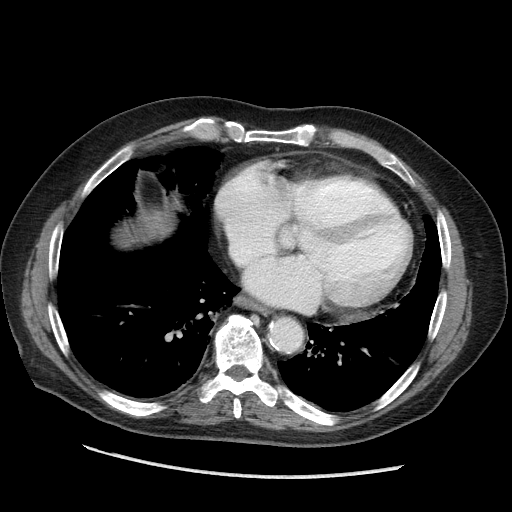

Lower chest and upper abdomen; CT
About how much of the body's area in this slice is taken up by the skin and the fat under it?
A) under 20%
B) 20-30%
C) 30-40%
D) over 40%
Answer: B) 20-30%
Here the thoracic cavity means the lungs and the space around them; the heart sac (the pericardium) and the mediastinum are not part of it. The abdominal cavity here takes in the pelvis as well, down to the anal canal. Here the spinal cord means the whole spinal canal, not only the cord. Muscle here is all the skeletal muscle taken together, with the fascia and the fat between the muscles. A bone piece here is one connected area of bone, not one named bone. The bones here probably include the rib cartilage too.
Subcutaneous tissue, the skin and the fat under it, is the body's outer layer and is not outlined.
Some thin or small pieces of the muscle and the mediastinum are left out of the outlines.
Outlined structures:
pericardium: (285, 152) (329, 153) (333, 157) (381, 173) (402, 189) (420, 219) (424, 232) (424, 246) (409, 291) (394, 304) (359, 321) (342, 325) (328, 325) (313, 321) (294, 311) (264, 305) (250, 296) (238, 283) (214, 232) (212, 215) (214, 191) (222, 175) (236, 163) (265, 154)
thoracic cavity 1: (189, 147) (207, 147) (221, 155) (207, 197) (207, 250) (239, 290) (230, 305) (221, 307) (212, 319) (211, 358) (195, 381) (151, 401) (136, 400) (118, 394) (96, 379) (71, 349) (57, 306) (56, 285) (63, 237) (84, 199) (125, 162) (132, 158) (165, 158), around a hole outlined by (139, 168) (153, 171) (159, 183) (167, 191) (177, 188) (189, 213) (187, 215) (184, 213) (179, 213) (177, 215) (179, 219) (177, 229) (170, 237) (160, 243) (133, 251) (119, 251) (110, 243) (110, 231) (118, 219) (125, 216) (128, 212) (132, 214) (135, 211) (135, 179)
thoracic cavity 2: (426, 214) (435, 222) (441, 270) (425, 338) (415, 359) (381, 395) (347, 411) (326, 411) (294, 393) (281, 381) (272, 364) (276, 366) (277, 362) (288, 360) (302, 352) (309, 339) (308, 322) (328, 326) (352, 324) (377, 315) (405, 296) (414, 283) (425, 247) (423, 218)
mediastinum: (188, 139) (271, 142) (303, 147) (313, 144) (360, 150) (413, 189) (429, 214) (423, 216) (423, 226) (409, 198) (393, 179) (329, 152) (271, 152) (240, 160) (229, 167) (217, 182) (211, 202) (213, 232) (229, 269) (241, 288) (256, 301) (312, 321) (306, 324) (308, 339) (301, 352) (274, 365) (250, 317) (233, 312) (213, 329) (216, 313) (230, 306) (240, 290) (208, 250) (207, 204) (221, 153) (207, 146) (189, 146) (165, 157) (136, 157)
torso: (197, 95) (266, 107) (347, 106) (384, 116) (411, 130) (439, 152) (484, 198) (503, 242) (508, 288) (505, 313) (490, 344) (432, 412) (361, 442) (289, 447) (132, 432) (98, 420) (35, 386) (12, 335) (0, 272) (0, 248) (19, 204) (51, 161) (99, 122) (151, 101)
muscle 1: (397, 156) (424, 179) (448, 208) (455, 222) (472, 284) (471, 322) (457, 356) (426, 387) (370, 421) (346, 429) (318, 432) (282, 431) (238, 419) (199, 425) (130, 417) (106, 407) (75, 384) (42, 354) (24, 324) (20, 308) (24, 271) (44, 222) (62, 200) (95, 170) (82, 188) (80, 197) (83, 200) (69, 223) (65, 228) (60, 220) (51, 231) (48, 278) (51, 282) (56, 280) (56, 306) (49, 301) (46, 309) (54, 339) (63, 355) (67, 358) (72, 352) (81, 365) (109, 389) (96, 391) (104, 402) (135, 417) (163, 411) (168, 406) (161, 400) (154, 400) (195, 382) (212, 358) (216, 372) (199, 386) (198, 399) (205, 404) (220, 391) (229, 391) (234, 396) (232, 414) (235, 419) (242, 415) (240, 395) (247, 391) (269, 407) (280, 399) (296, 414) (322, 426) (333, 426) (339, 422) (340, 417) (334, 413) (354, 410) (372, 402) (372, 411) (380, 410) (410, 385) (422, 364) (416, 358) (425, 339) (432, 342) (438, 333) (448, 298) (444, 287) (439, 290) (441, 271) (442, 268) (449, 270) (452, 258) (450, 232) (443, 210) (436, 208) (434, 220) (414, 189) (417, 186) (414, 178)
muscle 2: (210, 115) (229, 119) (225, 119) (221, 123) (219, 123) (214, 118) (207, 117) (206, 116) (200, 116) (196, 119) (195, 119) (192, 122) (184, 125) (180, 129) (181, 133) (187, 134) (191, 138) (168, 143) (155, 149) (145, 151) (135, 157) (133, 156) (136, 146) (133, 143) (123, 145) (131, 140) (166, 125) (192, 117) (199, 116) (209, 116)
muscle 3: (312, 123) (324, 124) (332, 127) (341, 127) (364, 134) (378, 141) (386, 148) (383, 146) (373, 143) (369, 140) (355, 136) (350, 133) (338, 129) (333, 129) (329, 131) (326, 134) (327, 142) (331, 145) (314, 144) (313, 143) (316, 140) (318, 132) (320, 130) (315, 124)
muscle 4: (264, 367) (265, 367) (267, 373) (270, 375) (270, 376) (271, 377) (272, 380) (274, 382) (274, 383) (272, 383) (271, 382) (270, 382) (267, 380) (265, 380) (264, 379) (263, 379) (261, 377) (261, 376) (260, 375) (260, 371)
bones 1: (233, 313) (251, 319) (263, 351) (280, 381) (310, 404) (336, 414) (337, 423) (319, 424) (296, 413) (280, 398) (274, 405) (266, 405) (250, 390) (239, 395) (239, 418) (233, 414) (235, 396) (227, 389) (220, 390) (208, 402) (200, 401) (200, 386) (217, 372) (210, 332) with holes at (234, 365) (242, 365) (243, 366) (244, 366) (248, 371) (248, 372) (249, 373) (249, 375) (247, 377) (245, 377) (243, 379) (242, 379) (239, 381) (237, 381) (236, 380) (235, 380) (233, 378) (232, 378) (229, 375) (228, 375) (227, 374) (227, 371) (231, 367) (232, 367) and at (264, 367) (265, 367) (267, 373) (270, 375) (270, 376) (271, 377) (272, 380) (274, 382) (274, 383) (272, 383) (271, 382) (270, 382) (267, 380) (265, 380) (264, 379) (263, 379) (261, 377) (261, 376) (260, 375) (260, 371)
bones 2: (200, 117) (214, 119) (219, 124) (225, 120) (232, 120) (240, 123) (246, 129) (284, 130) (298, 125) (311, 123) (315, 125) (319, 130) (315, 140) (308, 146) (271, 141) (236, 142) (232, 140) (200, 140) (192, 138) (187, 133) (181, 132) (181, 129) (184, 126) (192, 123)
bones 3: (333, 130) (342, 131) (355, 137) (369, 141) (373, 144) (383, 147) (388, 151) (393, 153) (403, 164) (413, 178) (416, 185) (415, 188) (412, 188) (394, 172) (381, 165) (375, 158) (368, 153) (366, 153) (360, 149) (356, 148) (340, 147) (332, 145) (328, 142) (327, 134)
bones 4: (100, 389) (107, 389) (116, 393) (118, 395) (136, 401) (141, 401) (142, 402) (161, 401) (163, 402) (167, 407) (163, 410) (161, 410) (158, 412) (151, 413) (148, 415) (145, 415) (144, 416) (135, 416) (123, 412) (114, 407) (112, 407) (104, 401) (98, 395) (97, 391)
bones 5: (128, 144) (133, 144) (135, 146) (134, 148) (134, 152) (133, 153) (132, 157) (128, 160) (125, 161) (113, 171) (112, 171) (106, 177) (105, 177) (89, 193) (87, 196) (86, 196) (83, 199) (81, 197) (81, 193) (88, 179) (96, 171) (96, 170) (97, 170) (120, 148)
bones 6: (416, 360) (419, 360) (421, 362) (421, 364) (420, 365) (418, 372) (409, 385) (396, 398) (395, 398) (388, 404) (382, 407) (380, 409) (373, 411) (373, 408) (374, 407) (374, 404) (373, 402) (376, 399) (381, 396) (403, 374) (403, 373) (411, 365) (411, 364)
bones 7: (437, 208) (440, 208) (442, 210) (442, 212) (445, 217) (448, 231) (449, 232) (450, 242) (451, 243) (451, 258) (450, 259) (450, 263) (448, 270) (445, 270) (442, 267) (442, 264) (441, 263) (441, 249) (440, 248) (439, 237) (436, 226) (436, 212) (437, 211)
bones 8: (60, 221) (62, 221) (63, 222) (64, 232) (63, 233) (61, 246) (60, 247) (60, 251) (59, 252) (59, 262) (58, 263) (58, 269) (57, 270) (57, 277) (56, 279) (51, 281) (49, 278) (49, 244) (50, 243) (50, 239) (51, 238) (52, 231) (55, 225)
bones 9: (49, 302) (51, 302) (57, 308) (61, 322) (63, 325) (65, 333) (67, 336) (67, 339) (71, 350) (69, 355) (67, 357) (65, 356) (61, 351) (55, 339) (55, 337) (52, 330) (52, 327) (49, 319) (48, 310) (47, 309) (47, 305)
bones 10: (442, 288) (444, 288) (446, 290) (447, 293) (446, 305) (441, 320) (441, 323) (439, 326) (437, 333) (433, 340) (432, 341) (429, 341) (427, 339) (426, 335) (427, 334) (430, 319) (432, 315) (432, 312) (435, 305) (435, 302) (438, 293)
spinal cord: (234, 365) (242, 365) (243, 366) (244, 366) (248, 371) (248, 372) (249, 373) (249, 375) (247, 377) (245, 377) (243, 379) (242, 379) (239, 381) (237, 381) (236, 380) (235, 380) (233, 378) (232, 378) (229, 375) (228, 375) (227, 374) (227, 371) (231, 367) (232, 367)
abdominal cavity: (139, 168) (153, 171) (159, 183) (167, 191) (177, 188) (189, 213) (187, 215) (184, 213) (179, 213) (177, 215) (179, 219) (177, 229) (170, 237) (160, 243) (133, 251) (119, 251) (110, 243) (110, 231) (118, 219) (125, 216) (128, 212) (132, 214) (135, 211) (135, 179)